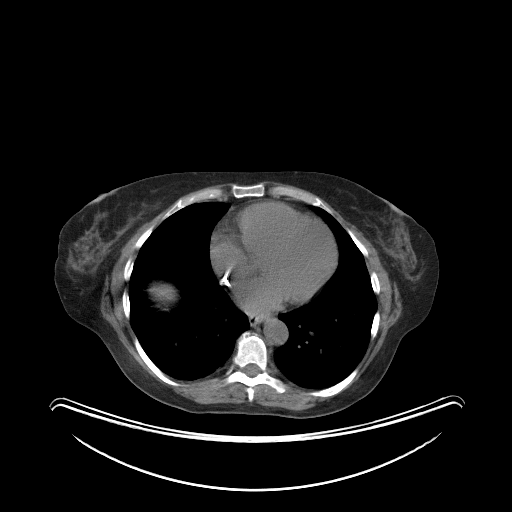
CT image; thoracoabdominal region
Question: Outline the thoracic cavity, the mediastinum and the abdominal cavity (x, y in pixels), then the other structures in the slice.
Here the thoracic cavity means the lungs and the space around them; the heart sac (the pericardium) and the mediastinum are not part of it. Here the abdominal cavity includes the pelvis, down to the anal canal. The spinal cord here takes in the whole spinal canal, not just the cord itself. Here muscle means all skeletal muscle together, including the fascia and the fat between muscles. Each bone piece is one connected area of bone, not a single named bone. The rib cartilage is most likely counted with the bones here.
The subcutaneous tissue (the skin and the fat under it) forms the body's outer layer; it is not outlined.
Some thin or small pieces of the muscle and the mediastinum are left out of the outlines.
Answer: The thoracic cavity appears in 2 outlined pieces: piece 1: 206,201 229,204 229,207 215,224 210,234 209,260 219,284 227,292 234,305 245,314 249,325 236,338 235,353 224,372 217,372 193,380 175,379 166,374 149,357 131,325 129,280 139,250 161,222 191,204 with a hole at 154,280 161,280 165,282 169,282 173,284 173,285 175,286 176,288 177,288 179,292 180,298 178,302 168,311 160,311 154,308 152,306 152,303 148,298 148,296 146,292 146,288 148,286 150,282; piece 2: 312,206 327,212 346,231 364,258 376,299 369,341 361,359 344,378 320,389 302,387 282,379 270,360 275,350 289,338 288,327 279,318 279,314 309,302 327,283 338,265 339,251 334,234 322,218 312,210. The mediastinum appears in 2 outlined pieces: piece 1: 234,303 238,307 247,313 272,314 277,312 284,312 280,312 277,316 286,325 288,330 288,338 285,343 277,347 274,350 271,358 269,356 267,345 265,341 256,332 252,332 248,330 250,325 249,324 248,317; piece 2: 266,195 273,197 289,197 294,200 301,201 311,205 311,210 301,207 285,199 260,198 247,201 238,205 232,209 216,225 226,213 230,207 230,204 225,201 216,201 212,200 220,201 221,200 230,196 239,199 245,197 263,197. The abdominal cavity is outlined by 154,280 161,280 165,282 169,282 173,284 173,285 175,286 176,288 177,288 179,292 180,298 178,302 168,311 160,311 154,308 152,306 152,303 148,298 148,296 146,292 146,288 148,286 150,282. The bones appear in 11 outlined pieces: piece 1: 247,330 256,333 264,341 269,360 273,363 277,375 287,385 284,392 279,393 271,386 259,383 253,387 253,399 249,401 247,387 242,382 235,381 225,385 222,384 221,380 231,363 232,357 236,353 236,340, around a hole outlined by 248,364 255,364 257,366 258,366 258,367 260,370 260,372 259,373 258,373 256,375 255,375 252,377 251,377 250,376 249,376 248,375 247,375 243,371 243,368 246,365 247,365; piece 2: 260,182 262,182 267,188 271,186 283,186 293,188 313,196 317,196 332,211 333,214 330,214 318,206 314,206 285,195 273,196 266,194 263,196 245,196 236,198 230,193 230,188 233,183 240,185 252,185; piece 3: 210,188 219,188 224,190 226,192 226,197 225,198 220,200 218,199 212,199 211,200 199,201 198,202 191,203 174,212 162,221 161,220 162,216 177,201 178,199 180,198 184,198 199,191 205,189 209,189; piece 4: 135,337 137,338 141,347 148,356 148,357 153,362 153,363 170,378 173,380 175,380 181,383 182,384 181,385 179,386 174,386 164,382 161,380 148,367 148,366 139,355 135,347 135,345 134,344 134,338; piece 5: 357,367 358,368 358,371 356,375 353,378 352,381 345,388 338,393 331,396 313,396 312,395 309,395 306,393 308,391 310,391 311,390 320,390 321,389 324,389 338,383 344,379 349,374 350,374 351,372; piece 6: 152,225 154,226 154,228 151,232 151,233 149,235 149,236 143,243 141,247 139,249 137,249 135,248 134,247 134,245 136,241 138,239 138,238 146,229 147,229 150,226; piece 7: 347,228 350,229 352,231 354,235 364,245 364,246 367,249 367,251 368,252 368,255 366,257 365,257 362,254 360,250 357,247 357,246 355,244 355,243 347,232 346,230; piece 8: 125,290 126,290 127,291 127,292 128,293 128,296 129,297 129,319 128,319 125,316 125,314 124,313 124,310 123,309 123,304 122,303 122,293 123,292 123,291 124,291; piece 9: 376,311 378,311 379,312 379,324 378,325 378,329 377,330 377,333 376,334 375,337 373,339 370,339 370,337 371,336 371,326 372,325 372,322 373,321 373,318 374,317 374,315 375,314; piece 10: 129,258 132,258 132,259 134,261 134,262 133,263 133,267 132,268 132,271 131,272 131,274 130,275 130,277 128,280 125,280 124,279 124,276 123,275 123,273 124,272 124,266 126,263 126,261; piece 11: 372,271 374,271 376,273 377,275 377,277 378,278 378,280 379,281 379,288 380,289 379,290 379,293 378,294 375,294 372,288 372,285 371,284 371,280 370,279 370,273. The spinal cord is outlined by 248,364 255,364 257,366 258,366 258,367 260,370 260,372 259,373 258,373 256,375 255,375 252,377 251,377 250,376 249,376 248,375 247,375 243,371 243,368 246,365 247,365. The pericardium is outlined by 260,199 285,200 313,212 321,218 332,232 337,246 337,265 327,281 309,301 285,311 277,311 272,313 254,313 247,312 242,309 234,302 226,288 220,284 210,260 210,240 212,232 216,226 238,206 247,202. The muscle appears in 4 outlined pieces: piece 1: 174,202 161,216 161,221 155,228 152,224 140,234 133,245 138,250 135,259 129,257 123,266 122,275 123,279 128,281 128,291 125,289 121,293 122,309 136,336 133,338 134,347 147,367 161,381 174,387 183,384 176,380 193,381 217,373 224,373 220,380 221,384 225,386 235,382 242,383 246,387 249,402 253,401 254,387 259,384 265,384 279,394 284,393 288,387 285,380 299,387 310,389 305,393 309,396 332,397 302,410 265,406 255,402 198,403 162,386 132,363 116,332 101,314 101,294 105,279 110,276 121,249 127,241 144,223 150,221; piece 2: 321,198 345,220 353,224 371,243 387,272 390,282 392,284 396,284 402,303 401,315 388,330 380,349 372,361 360,377 343,391 357,375 359,371 357,366 366,352 370,340 373,340 378,333 380,312 377,310 376,295 380,293 381,289 377,273 374,270 369,273 365,262 365,258 369,255 368,249 350,228 347,227 345,229 341,225 333,216 333,211; piece 3: 223,183 232,183 230,185 230,187 229,188 229,193 231,195 227,197 227,192 224,189 219,187 210,187 209,188 205,188 196,192 194,192 184,197 180,197 190,192 192,192 208,186 216,185 217,184 222,184; piece 4: 262,181 274,181 275,182 279,182 280,183 283,183 284,184 292,185 298,188 306,190 316,195 313,195 310,193 308,193 305,191 303,191 302,190 300,190 293,187 284,186 283,185 271,185 267,187. The torso is outlined by 283,170 316,171 347,178 390,201 422,225 433,238 439,259 438,283 428,315 402,338 379,383 365,397 328,415 290,418 192,413 150,397 124,375 100,338 65,311 54,283 61,227 99,193 145,177 186,171.